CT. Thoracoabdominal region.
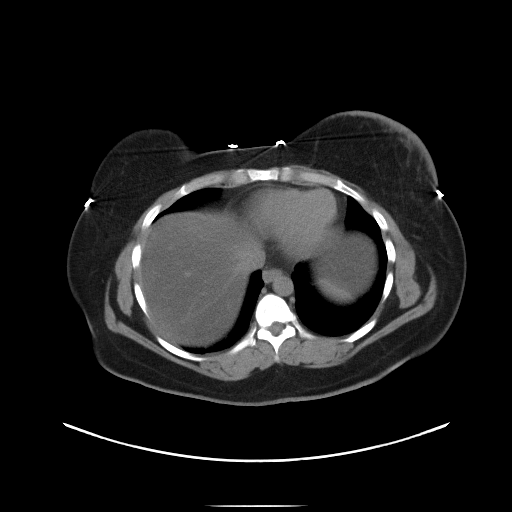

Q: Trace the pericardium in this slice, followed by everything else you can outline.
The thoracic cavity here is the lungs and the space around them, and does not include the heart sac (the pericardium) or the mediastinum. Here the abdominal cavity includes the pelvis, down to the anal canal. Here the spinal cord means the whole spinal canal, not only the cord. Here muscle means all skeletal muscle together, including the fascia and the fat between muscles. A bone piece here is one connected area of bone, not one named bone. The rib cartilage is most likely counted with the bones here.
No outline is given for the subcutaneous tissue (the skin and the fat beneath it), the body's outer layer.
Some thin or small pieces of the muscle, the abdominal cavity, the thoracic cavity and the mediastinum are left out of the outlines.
A: The pericardium is outlined by (267, 183) (286, 184) (292, 186) (321, 186) (331, 190) (339, 199) (341, 213) (335, 228) (321, 240) (309, 256) (295, 263) (288, 263) (273, 255) (270, 250) (264, 246) (264, 242) (254, 226) (243, 217) (238, 215) (231, 208) (231, 201) (235, 196) (252, 186). The torso is outlined by (351, 109) (403, 123) (433, 159) (439, 183) (433, 194) (451, 209) (467, 262) (462, 299) (442, 339) (373, 383) (260, 406) (163, 392) (104, 369) (68, 287) (66, 253) (79, 215) (93, 203) (90, 182) (107, 151) (151, 126) (174, 129) (201, 151) (283, 144) (322, 117). The spinal cord is outlined by (274, 322) (278, 322) (279, 323) (281, 323) (283, 325) (283, 328) (279, 332) (279, 333) (278, 333) (277, 334) (273, 334) (268, 329) (268, 327) (269, 327). The mediastinum appears in 2 outlined pieces: piece 1: (264, 247) (267, 248) (273, 256) (275, 256) (288, 264) (297, 263) (293, 267) (293, 270) (291, 273) (291, 279) (293, 282) (294, 288) (294, 310) (291, 309) (284, 298) (272, 292) (268, 292) (258, 299) (260, 292) (264, 285) (262, 278) (262, 271) (260, 269) (264, 261); piece 2: (256, 181) (319, 184) (341, 192) (347, 195) (344, 224) (338, 224) (342, 213) (340, 199) (331, 189) (321, 185) (292, 185) (272, 182) (260, 183) (244, 189) (235, 195) (230, 203) (225, 205) (203, 203) (216, 197) (220, 193) (221, 189) (220, 188) (218, 186) (213, 186) (226, 186) (235, 187). The thoracic cavity appears in 3 outlined pieces: piece 1: (348, 196) (372, 216) (381, 231) (387, 258) (386, 274) (380, 300) (365, 323) (347, 335) (323, 335) (306, 328) (294, 311) (294, 267) (300, 262) (306, 263) (310, 284) (324, 300) (335, 306) (350, 306) (365, 296) (379, 269) (378, 248) (373, 238) (361, 229) (345, 226); piece 2: (258, 269) (261, 271) (261, 278) (263, 285) (259, 292) (253, 311) (253, 320) (250, 323) (244, 335) (230, 348) (221, 351) (197, 355) (178, 347) (170, 342) (178, 346) (185, 346) (193, 348) (199, 347) (207, 348) (225, 338) (238, 319) (250, 280) (250, 276) (254, 271); piece 3: (206, 187) (218, 187) (220, 189) (220, 191) (216, 196) (209, 198) (205, 200) (202, 203) (200, 203) (189, 209) (184, 209) (179, 211) (172, 211) (169, 213) (166, 213) (159, 217) (155, 221) (153, 221) (163, 210) (167, 208) (178, 199) (196, 190) (202, 188) (205, 188). The bones appear in 10 outlined pieces: piece 1: (283, 166) (340, 179) (365, 199) (362, 205) (350, 195) (327, 185) (299, 183) (296, 180) (294, 182) (256, 180) (235, 186) (221, 183) (202, 187) (174, 201) (173, 199) (174, 193) (182, 184) (201, 177) (212, 174) (227, 175) (237, 168) (267, 169); piece 2: (268, 293) (284, 299) (299, 322) (315, 335) (315, 338) (303, 338) (298, 335) (286, 338) (278, 348) (278, 361) (274, 359) (275, 351) (273, 346) (264, 339) (258, 339) (254, 346) (246, 346) (236, 353) (228, 354) (229, 349) (248, 331) (254, 320) (254, 311) (258, 300); inner edge: (274, 322) (278, 322) (279, 323) (281, 323) (283, 325) (283, 328) (279, 332) (279, 333) (278, 333) (277, 334) (273, 334) (268, 329) (268, 327) (269, 327); piece 3: (156, 336) (160, 336) (162, 338) (163, 338) (165, 340) (178, 348) (180, 348) (194, 355) (205, 357) (206, 359) (202, 361) (195, 361) (194, 360) (190, 360) (189, 359) (187, 359) (186, 358) (178, 356) (170, 352) (164, 347) (163, 347) (157, 341) (156, 339); piece 4: (373, 318) (376, 318) (377, 319) (377, 321) (376, 322) (375, 325) (366, 334) (365, 334) (360, 338) (359, 338) (352, 342) (344, 342) (343, 341) (341, 341) (341, 339) (346, 337) (351, 333) (354, 332) (356, 330) (357, 330) (359, 328) (360, 328) (369, 320) (370, 320); piece 5: (159, 203) (161, 204) (162, 206) (161, 208) (161, 211) (154, 218) (154, 219) (152, 221) (150, 225) (147, 228) (145, 229) (142, 229) (141, 228) (141, 225) (142, 224) (142, 222) (144, 219) (144, 217) (146, 213) (151, 207); piece 6: (135, 282) (138, 283) (141, 288) (141, 290) (142, 291) (143, 296) (146, 302) (147, 309) (149, 313) (149, 317) (145, 315) (145, 314) (141, 309) (139, 304) (136, 300) (136, 297) (134, 293) (134, 283); piece 7: (137, 243) (138, 243) (139, 244) (140, 244) (141, 245) (141, 258) (140, 259) (140, 263) (139, 264) (139, 267) (138, 267) (136, 269) (134, 269) (133, 268) (133, 266) (132, 265) (132, 262) (131, 261) (131, 253) (132, 252) (132, 249) (133, 248) (133, 247); piece 8: (389, 271) (391, 271) (393, 273) (393, 282) (392, 283) (392, 286) (391, 287) (391, 289) (389, 292) (389, 294) (387, 296) (386, 299) (382, 302) (381, 301) (381, 298) (382, 297) (382, 294) (383, 293) (383, 289) (384, 288) (384, 285) (385, 284) (386, 275); piece 9: (373, 208) (375, 208) (377, 210) (378, 210) (382, 214) (382, 215) (384, 217) (384, 218) (387, 223) (387, 225) (388, 226) (388, 229) (387, 230) (386, 230) (385, 231) (382, 231) (381, 230) (381, 229) (380, 228) (379, 225) (377, 223) (376, 220) (371, 214) (371, 210); piece 10: (387, 238) (388, 238) (391, 240) (391, 241) (393, 243) (393, 245) (394, 246) (394, 249) (395, 250) (395, 260) (394, 261) (394, 262) (389, 262) (388, 261) (388, 258) (387, 257) (387, 251) (386, 250) (386, 247) (385, 246) (385, 243) (384, 242) (384, 240). The abdominal cavity appears in 2 outlined pieces: piece 1: (200, 204) (215, 204) (218, 206) (230, 204) (231, 210) (253, 226) (263, 242) (263, 261) (259, 268) (249, 276) (235, 323) (225, 337) (207, 347) (178, 345) (162, 335) (150, 316) (139, 283) (140, 273) (138, 268) (141, 263) (144, 238) (151, 224) (166, 214) (189, 210); piece 2: (338, 225) (339, 226) (344, 225) (348, 230) (355, 229) (365, 232) (375, 242) (378, 254) (378, 269) (373, 284) (369, 291) (365, 295) (350, 305) (335, 305) (324, 299) (310, 282) (308, 264) (306, 262) (300, 261) (309, 257) (314, 252) (322, 240). The muscle appears in 2 outlined pieces: piece 1: (288, 164) (324, 169) (348, 180) (361, 187) (390, 214) (416, 255) (435, 276) (437, 295) (430, 310) (368, 344) (340, 364) (303, 368) (274, 363) (263, 370) (256, 368) (243, 379) (227, 381) (180, 365) (108, 329) (104, 321) (104, 297) (109, 278) (115, 283) (114, 266) (118, 255) (143, 212) (160, 195) (180, 186) (167, 207) (162, 210) (159, 202) (147, 210) (140, 225) (142, 230) (147, 229) (143, 242) (137, 242) (130, 253) (132, 268) (138, 269) (139, 273) (139, 282) (133, 283) (135, 300) (163, 336) (155, 336) (163, 348) (178, 357) (202, 362) (207, 359) (203, 355) (228, 349) (226, 353) (233, 355) (246, 347) (254, 347) (258, 340) (264, 340) (272, 346) (273, 359) (278, 362) (279, 348) (288, 338) (298, 336) (312, 340) (316, 338) (314, 333) (330, 337) (346, 336) (340, 341) (352, 343) (366, 335) (378, 321) (376, 317) (370, 318) (380, 301) (387, 299) (394, 282) (394, 273) (391, 270) (387, 272) (387, 265) (396, 260) (395, 246) (390, 238) (384, 239) (382, 235) (389, 229) (388, 223) (375, 207) (368, 212) (363, 206) (366, 199) (340, 178) (296, 170) (284, 165); piece 2: (231, 168) (236, 168) (235, 168) (233, 170) (232, 170) (229, 173) (228, 173) (227, 174) (225, 174) (224, 173) (212, 173) (211, 174) (209, 174) (208, 175) (206, 175) (205, 176) (201, 176) (200, 177) (198, 177) (197, 178) (195, 178) (192, 180) (190, 180) (193, 178) (195, 178) (196, 177) (198, 177) (199, 176) (201, 176) (204, 174) (206, 174) (207, 173) (209, 173) (212, 171) (217, 171) (218, 170) (222, 170) (223, 169) (230, 169).